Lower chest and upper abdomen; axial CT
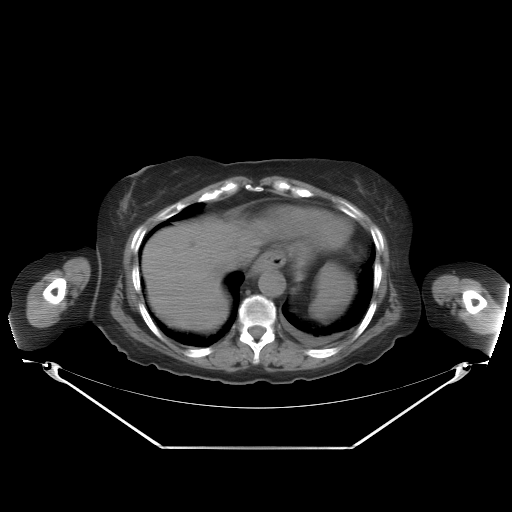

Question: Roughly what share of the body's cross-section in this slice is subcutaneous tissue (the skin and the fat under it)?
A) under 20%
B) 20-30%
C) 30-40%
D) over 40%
Answer: C) 30-40%
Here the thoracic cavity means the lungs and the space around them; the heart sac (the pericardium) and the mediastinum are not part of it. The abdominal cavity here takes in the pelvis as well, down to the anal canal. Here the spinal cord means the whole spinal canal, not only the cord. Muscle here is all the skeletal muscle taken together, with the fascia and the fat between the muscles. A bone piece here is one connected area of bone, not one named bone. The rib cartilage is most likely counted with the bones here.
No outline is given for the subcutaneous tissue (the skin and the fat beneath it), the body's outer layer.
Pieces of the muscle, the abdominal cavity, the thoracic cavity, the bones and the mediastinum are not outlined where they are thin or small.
{"pericardium":[[[268,197],[319,202],[331,208],[336,208],[336,210],[339,210],[353,220],[355,224],[355,235],[347,247],[336,253],[319,257],[307,256],[291,248],[274,243],[262,242],[249,226],[241,221],[236,220],[228,214],[231,213],[233,210],[244,206],[254,200]]],"thoracic_cavity":[[[373,242],[376,251],[373,262],[372,293],[368,307],[355,329],[331,347],[308,347],[290,337],[278,321],[277,316],[277,312],[280,311],[284,303],[291,314],[312,328],[326,328],[331,326],[341,320],[348,313],[359,293],[362,268],[370,255],[371,245]],[[238,271],[242,272],[244,277],[238,290],[239,304],[237,317],[231,325],[230,330],[209,346],[190,347],[172,339],[161,331],[147,309],[157,320],[174,332],[193,334],[201,337],[211,336],[223,327],[232,313],[234,298],[226,283],[226,279],[230,274]],[[194,203],[203,203],[203,208],[201,211],[195,213],[193,215],[190,215],[181,219],[176,219],[170,221],[168,223],[158,227],[145,240],[143,243],[140,255],[138,257],[137,254],[142,241],[145,235],[153,227],[158,223],[162,222],[179,213],[183,209]]],"bones":[{"outer":[[253,294],[262,295],[272,301],[276,308],[277,317],[274,326],[275,338],[272,342],[264,345],[259,351],[259,362],[257,364],[253,363],[254,352],[251,347],[239,340],[239,331],[237,329],[231,330],[232,325],[238,317],[238,308],[240,303],[246,297]],"hole":[[253,326],[260,326],[261,327],[262,327],[263,328],[264,328],[264,329],[265,330],[264,331],[264,332],[258,338],[255,338],[249,332],[249,331],[248,330],[248,329],[250,327],[252,327]]},[[227,181],[236,182],[239,185],[239,189],[234,193],[228,194],[225,192],[214,200],[210,200],[205,202],[194,202],[183,208],[179,212],[162,221],[159,222],[156,220],[156,216],[166,207],[178,201],[194,201],[203,193],[211,191],[214,189],[217,189]],[[54,277],[62,277],[66,280],[66,292],[65,293],[65,295],[64,296],[63,299],[59,303],[58,303],[57,304],[52,304],[51,303],[48,302],[44,299],[44,298],[42,295],[43,290],[47,286],[47,285],[52,281],[52,280],[54,278]],[[467,289],[473,289],[474,290],[476,290],[480,294],[481,294],[481,295],[487,301],[487,306],[485,308],[482,309],[480,311],[479,311],[475,314],[472,314],[468,312],[465,308],[465,306],[462,300],[462,292],[464,290],[466,290]],[[276,180],[283,180],[287,182],[292,186],[301,187],[302,188],[308,189],[313,193],[313,196],[312,197],[299,197],[298,196],[294,196],[292,194],[292,193],[288,190],[282,191],[280,193],[278,193],[276,192],[276,191],[272,187],[272,184],[273,182]],[[333,198],[345,200],[347,202],[351,204],[354,207],[355,207],[358,210],[359,210],[362,213],[363,216],[361,218],[357,220],[351,217],[349,215],[344,213],[342,211],[338,209],[335,206],[335,204],[332,201],[332,199]],[[141,302],[142,302],[145,305],[146,307],[146,309],[148,313],[150,315],[151,318],[153,320],[154,323],[162,333],[163,340],[160,339],[157,336],[156,336],[148,327],[148,326],[144,321],[139,311],[139,308],[138,307],[138,305],[139,303]],[[372,301],[374,301],[376,303],[376,308],[375,309],[375,311],[369,323],[364,329],[364,330],[355,339],[353,340],[352,339],[353,337],[353,335],[358,325],[360,323],[363,317],[365,315],[369,307],[369,305],[370,303]],[[335,346],[340,346],[341,347],[339,351],[333,355],[331,355],[328,357],[325,357],[324,358],[317,358],[316,357],[312,357],[309,355],[305,354],[304,352],[304,350],[308,349],[309,348],[312,348],[313,349],[322,349],[323,348],[331,348]],[[141,225],[143,225],[146,228],[146,233],[144,235],[141,241],[141,243],[138,248],[137,253],[135,253],[133,251],[132,251],[132,250],[130,248],[130,245],[131,244],[131,241],[132,240],[132,238],[133,237],[133,235],[135,231],[137,229],[137,228]],[[372,225],[375,225],[379,229],[379,230],[380,231],[380,232],[382,235],[382,237],[383,238],[383,249],[381,251],[377,251],[376,250],[376,247],[375,246],[375,244],[374,243],[374,242],[372,239],[372,237],[371,236],[371,234],[370,233],[370,227]],[[210,346],[212,348],[212,351],[209,354],[208,354],[207,355],[205,355],[204,356],[201,356],[200,357],[189,357],[188,356],[185,355],[183,353],[183,351],[184,350],[185,350],[188,348],[191,348],[192,347],[193,348],[205,348],[206,347],[209,347]],[[375,261],[377,261],[381,265],[381,271],[382,272],[382,273],[381,274],[381,279],[380,280],[380,282],[379,283],[379,286],[378,287],[378,288],[376,290],[376,291],[375,291],[374,290],[373,290],[373,278],[374,277],[374,262]],[[136,264],[137,264],[138,265],[138,267],[139,268],[139,277],[140,278],[140,286],[141,287],[141,291],[140,292],[137,292],[136,291],[136,290],[133,285],[133,282],[132,281],[132,275],[131,274],[131,273],[132,272],[132,268],[133,267],[133,266]],[[246,184],[250,184],[251,185],[252,185],[253,186],[255,186],[256,185],[259,185],[260,186],[262,186],[264,188],[264,190],[263,190],[262,191],[251,191],[250,190],[248,190],[247,189],[246,189],[245,188],[244,188],[244,186]]],"left_arm":[[[459,260],[471,260],[486,264],[507,280],[504,302],[502,302],[500,309],[501,314],[495,332],[490,340],[490,347],[487,353],[483,353],[477,349],[467,348],[440,330],[431,327],[427,321],[424,310],[422,310],[422,313],[419,285],[424,275],[434,266]]],"mediastinum":[[[275,248],[285,250],[288,261],[288,272],[287,273],[289,276],[289,287],[287,290],[285,299],[279,311],[277,311],[276,305],[272,300],[259,293],[253,293],[246,296],[240,302],[239,290],[245,277],[244,272],[247,272],[250,270],[250,268],[262,252]],[[243,188],[251,192],[262,192],[266,190],[282,195],[299,198],[313,197],[319,198],[331,203],[335,207],[331,207],[319,201],[292,199],[289,197],[268,196],[254,199],[245,203],[240,203],[223,209],[207,209],[204,207],[204,203],[220,200],[234,194]],[[352,218],[358,221],[359,223],[361,224],[361,225],[363,226],[363,227],[365,228],[365,229],[367,230],[368,232],[369,232],[370,236],[371,237],[371,242],[358,241],[358,240],[356,239],[355,237],[356,235],[356,224],[354,220],[352,219]]],"torso":[[[192,154],[224,163],[298,157],[352,160],[388,179],[403,194],[413,216],[410,264],[421,307],[417,329],[398,338],[371,363],[356,364],[313,380],[283,384],[226,384],[128,360],[90,322],[99,278],[95,245],[98,206],[104,194],[122,177],[146,165]]],"spinal_cord":[[[253,326],[260,326],[261,327],[262,327],[263,328],[264,328],[264,329],[265,330],[264,331],[264,332],[258,338],[255,338],[249,332],[249,331],[248,330],[248,329],[250,327],[252,327]]],"right_arm":[[[85,243],[93,246],[94,245],[97,251],[98,278],[89,322],[78,328],[67,329],[52,343],[43,348],[32,351],[19,349],[16,344],[16,340],[8,318],[8,311],[11,305],[10,288],[15,277],[28,263],[40,258],[49,251],[70,247],[73,248]]],"muscle":[[[273,175],[303,181],[346,199],[382,230],[388,244],[389,277],[402,306],[398,321],[340,360],[318,368],[274,372],[266,371],[261,365],[232,372],[192,365],[129,335],[111,315],[110,301],[123,272],[127,240],[136,228],[129,248],[137,255],[137,263],[130,273],[132,285],[137,293],[141,292],[144,301],[138,303],[138,311],[147,327],[160,340],[164,340],[163,334],[189,347],[182,351],[189,358],[209,355],[213,351],[213,344],[230,331],[237,330],[238,340],[250,347],[252,363],[257,365],[260,351],[275,340],[275,326],[279,322],[290,338],[308,348],[303,350],[305,355],[324,359],[338,353],[342,347],[336,345],[354,330],[353,341],[365,330],[377,308],[377,303],[371,298],[382,279],[382,265],[375,260],[376,252],[384,249],[384,238],[375,224],[368,231],[360,223],[364,215],[351,203],[333,197],[331,201],[334,205],[315,197],[308,188],[292,185],[283,179],[272,182],[271,187],[275,192],[259,184],[246,183],[240,188],[236,181],[227,180],[194,200],[179,200],[229,177],[245,176],[257,181]],{"outer":[[79,256],[84,257],[89,261],[91,266],[91,274],[87,284],[77,297],[74,303],[61,313],[60,319],[56,323],[48,327],[38,328],[29,324],[25,313],[26,296],[29,289],[35,282],[38,281],[46,273],[56,268],[60,268],[68,259]],"hole":[[54,277],[62,277],[66,280],[66,292],[65,293],[65,295],[64,296],[63,299],[59,303],[58,303],[57,304],[52,304],[51,303],[48,302],[44,299],[44,298],[42,295],[43,290],[47,286],[47,285],[52,281],[52,280],[54,278]]},{"outer":[[443,274],[455,274],[460,277],[467,277],[479,281],[485,287],[485,289],[493,301],[500,308],[501,314],[496,326],[495,332],[480,334],[471,331],[463,322],[457,320],[446,307],[438,304],[435,301],[431,292],[431,285],[432,282],[438,276]],"hole":[[467,289],[473,289],[474,290],[476,290],[480,294],[481,294],[481,295],[487,301],[487,306],[485,308],[482,309],[480,311],[479,311],[475,314],[472,314],[468,312],[465,308],[465,306],[462,300],[462,292],[464,290],[466,290]]},[[162,209],[163,209],[162,210],[161,210],[155,216],[155,220],[157,222],[158,222],[155,225],[154,225],[147,232],[147,228],[143,224],[141,224],[147,218],[148,218],[150,216],[151,216],[153,214],[154,214],[156,212],[157,212],[158,211],[159,211]]],"abdominal_cavity":[[[240,204],[227,215],[262,243],[291,249],[307,257],[336,254],[354,238],[371,243],[358,293],[341,319],[312,327],[289,311],[284,302],[289,261],[286,250],[279,247],[270,248],[262,251],[249,270],[227,276],[231,313],[215,333],[174,331],[154,316],[138,264],[146,240],[204,208]]]}